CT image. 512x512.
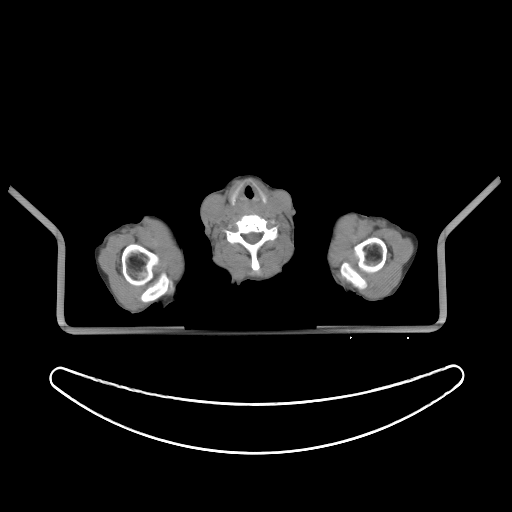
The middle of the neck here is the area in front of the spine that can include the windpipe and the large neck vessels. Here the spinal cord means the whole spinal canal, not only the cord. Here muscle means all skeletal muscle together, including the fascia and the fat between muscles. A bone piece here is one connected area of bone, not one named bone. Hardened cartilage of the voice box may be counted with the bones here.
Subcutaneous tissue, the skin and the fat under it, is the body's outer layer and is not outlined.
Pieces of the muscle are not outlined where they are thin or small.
{"spinal_cord":[[[251,232],[254,232],[255,233],[258,233],[259,232],[261,232],[262,233],[262,235],[259,240],[258,240],[256,242],[255,242],[254,243],[250,243],[249,242],[246,241],[244,239],[244,238],[242,236],[242,235],[243,234],[247,234],[248,233],[250,233]]],"middle_of_the_neck":[[[247,181],[249,181],[257,189],[261,197],[261,199],[264,203],[267,201],[267,198],[269,202],[269,208],[260,211],[256,211],[253,213],[245,213],[240,211],[233,211],[228,207],[228,200],[233,205],[235,203],[235,199],[237,193],[239,192],[239,190]]],"bones":[[[131,243],[139,244],[158,256],[159,261],[153,267],[153,273],[157,276],[164,272],[175,285],[175,290],[173,292],[168,291],[161,297],[151,302],[141,301],[140,296],[149,284],[147,283],[138,286],[133,285],[125,279],[122,273],[121,254],[123,249]],[[372,236],[380,238],[385,243],[387,247],[386,259],[383,266],[375,272],[367,273],[360,270],[359,271],[365,279],[367,286],[364,289],[357,289],[340,276],[339,269],[343,262],[348,262],[354,268],[357,269],[357,258],[354,254],[353,247],[368,237]],{"outer":[[245,214],[257,214],[267,220],[273,220],[277,226],[277,237],[273,240],[267,240],[257,252],[257,259],[260,267],[257,272],[251,268],[251,256],[249,252],[240,243],[228,242],[224,231],[224,229],[228,228],[230,224],[233,224]],"hole":[[251,232],[254,232],[255,233],[258,233],[259,232],[261,232],[262,233],[262,235],[259,240],[258,240],[256,242],[255,242],[254,243],[250,243],[249,242],[246,241],[244,239],[244,238],[242,236],[242,235],[243,234],[247,234],[248,233],[250,233]]},[[244,181],[245,181],[243,185],[238,190],[238,192],[236,193],[236,195],[234,199],[234,203],[232,204],[229,199],[230,198],[230,196],[231,194],[233,192],[234,192],[235,190],[238,189],[239,187],[241,186],[241,185]],[[250,180],[251,181],[252,181],[254,183],[254,184],[256,186],[257,186],[262,191],[262,192],[266,196],[266,201],[265,202],[264,202],[263,201],[263,200],[262,199],[262,197],[261,196],[261,195],[260,194],[260,193],[259,192],[258,189],[250,181]]],"muscle":[{"outer":[[247,177],[255,178],[269,189],[281,191],[288,197],[291,213],[287,219],[290,227],[290,239],[292,244],[289,255],[275,272],[266,276],[245,276],[236,278],[229,267],[216,259],[214,243],[203,217],[202,208],[205,201],[210,196],[222,193],[234,181]],"hole":[[250,180],[262,191],[269,202],[269,208],[253,213],[267,220],[273,220],[278,231],[275,239],[267,240],[259,248],[257,259],[260,267],[257,272],[251,268],[249,252],[240,243],[228,242],[224,231],[230,224],[245,214],[230,209],[228,200],[244,181]]},[[347,214],[383,220],[413,242],[413,252],[400,279],[385,295],[368,297],[358,290],[368,286],[360,271],[375,273],[386,262],[388,247],[378,236],[368,236],[352,247],[357,268],[348,261],[339,266],[339,276],[353,287],[334,273],[330,250],[336,225]],[[147,218],[160,221],[168,229],[181,253],[182,269],[175,283],[164,271],[155,275],[159,256],[139,243],[127,244],[120,254],[124,279],[137,287],[148,284],[139,296],[141,302],[148,303],[131,309],[112,291],[98,255],[109,236],[125,227],[141,225]]],"left_arm":[[[350,210],[366,215],[383,216],[399,225],[402,228],[414,232],[418,237],[419,247],[417,255],[411,267],[395,293],[383,300],[368,301],[350,291],[343,289],[335,283],[328,269],[326,263],[326,251],[330,239],[332,224],[335,218],[339,214]]],"right_arm":[[[144,214],[156,215],[165,220],[171,226],[178,241],[183,247],[186,267],[185,273],[177,286],[174,300],[172,302],[163,307],[157,303],[154,303],[142,312],[131,313],[120,307],[114,301],[104,285],[95,267],[93,250],[109,231],[127,222],[137,222]]],"head_and_neck":[[[246,173],[255,174],[270,185],[285,189],[291,195],[296,211],[293,218],[295,252],[278,275],[263,281],[245,280],[236,285],[231,284],[229,274],[214,264],[211,259],[210,242],[204,233],[204,226],[199,217],[199,206],[208,193],[220,189],[234,176]]]}